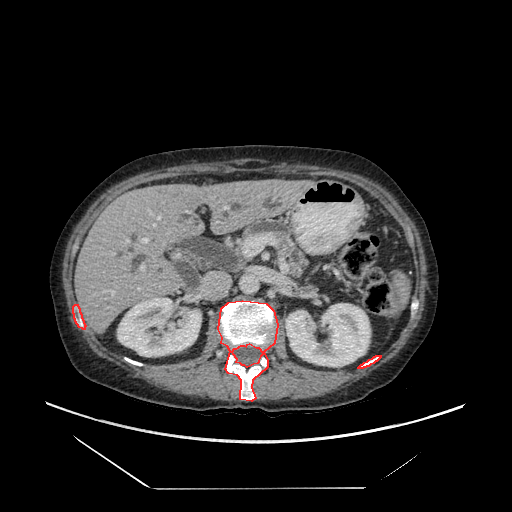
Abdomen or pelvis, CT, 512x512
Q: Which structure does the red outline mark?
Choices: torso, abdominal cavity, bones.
A: red: bones.
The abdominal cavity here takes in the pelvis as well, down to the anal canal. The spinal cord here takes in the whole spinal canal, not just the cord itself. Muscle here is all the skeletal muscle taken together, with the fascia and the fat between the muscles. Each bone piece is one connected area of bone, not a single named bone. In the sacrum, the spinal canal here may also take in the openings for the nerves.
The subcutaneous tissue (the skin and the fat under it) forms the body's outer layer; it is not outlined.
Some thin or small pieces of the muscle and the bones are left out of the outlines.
bones 1: [[242,300],[266,303],[273,310],[277,324],[274,343],[263,352],[267,359],[267,367],[252,380],[251,387],[255,398],[251,401],[240,399],[241,380],[237,375],[228,373],[225,369],[230,351],[227,346],[221,343],[222,337],[218,329],[221,308],[228,302]] with a hole at [[249,343],[256,347],[258,347],[262,352],[262,354],[260,356],[258,360],[258,362],[257,363],[253,364],[247,367],[244,365],[242,365],[240,363],[236,362],[237,359],[233,354],[232,351],[234,348],[236,348],[241,345],[244,345],[246,346],[247,344]]
bones 2: [[75,304],[77,304],[77,305],[79,308],[79,311],[81,314],[81,317],[82,318],[82,319],[83,320],[83,322],[85,325],[85,326],[84,327],[84,329],[83,329],[82,328],[79,327],[75,321],[75,319],[74,318],[74,314],[73,313],[73,306]]
bones 3: [[376,355],[380,355],[380,357],[376,361],[375,361],[373,363],[370,364],[368,366],[366,366],[365,367],[363,367],[362,368],[358,368],[358,367],[361,364],[362,364],[364,362],[367,361],[369,359],[372,358],[374,356],[375,356]]
abdominal cavity: [[236,171],[341,178],[367,191],[393,217],[411,251],[415,288],[409,318],[385,350],[351,369],[298,364],[288,357],[282,321],[266,302],[254,299],[226,302],[208,320],[201,353],[173,363],[122,355],[86,327],[74,297],[74,262],[108,204],[151,181]]
muscle: [[242,158],[324,166],[367,177],[394,196],[418,230],[427,265],[428,284],[418,325],[394,357],[345,388],[312,398],[256,401],[254,400],[256,393],[252,387],[253,380],[268,367],[268,359],[264,352],[275,343],[278,329],[277,316],[281,321],[289,360],[315,370],[336,371],[357,367],[362,369],[376,362],[381,357],[380,354],[398,337],[408,320],[412,320],[418,311],[420,302],[414,296],[416,268],[403,228],[367,190],[347,179],[333,175],[236,170],[227,173],[184,174],[151,180],[130,187],[112,199],[91,224],[77,250],[74,244],[72,246],[71,255],[75,255],[71,279],[75,300],[72,313],[79,328],[83,330],[87,328],[106,348],[121,355],[122,359],[131,365],[144,367],[146,364],[173,364],[194,359],[202,353],[207,340],[209,320],[219,312],[217,329],[221,337],[220,343],[229,351],[224,369],[228,374],[234,374],[239,378],[240,400],[215,400],[179,394],[133,377],[123,368],[97,355],[69,320],[62,283],[62,262],[66,246],[74,227],[103,192],[122,180],[147,171],[192,162],[217,162]]
spinal cord: [[249,343],[256,347],[258,347],[262,352],[262,354],[260,356],[258,360],[258,362],[257,363],[253,364],[247,367],[244,365],[242,365],[240,363],[236,362],[237,359],[233,354],[232,351],[234,348],[236,348],[241,345],[244,345],[246,346],[247,344]]
torso: [[248,144],[307,146],[352,152],[374,162],[397,183],[426,224],[438,266],[436,311],[423,342],[388,384],[360,401],[317,411],[270,412],[240,407],[184,410],[134,399],[86,379],[66,354],[49,288],[53,250],[70,215],[101,181],[139,157],[183,148]]